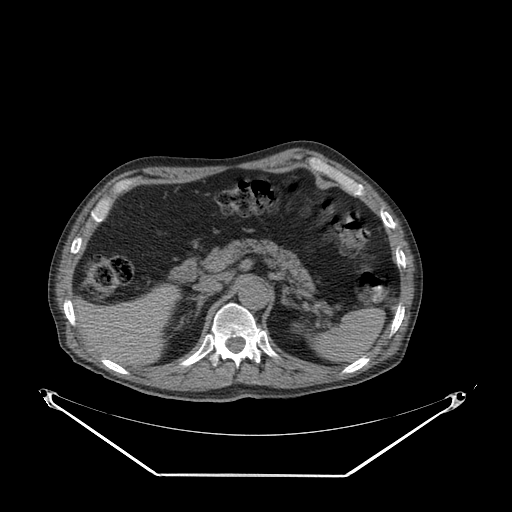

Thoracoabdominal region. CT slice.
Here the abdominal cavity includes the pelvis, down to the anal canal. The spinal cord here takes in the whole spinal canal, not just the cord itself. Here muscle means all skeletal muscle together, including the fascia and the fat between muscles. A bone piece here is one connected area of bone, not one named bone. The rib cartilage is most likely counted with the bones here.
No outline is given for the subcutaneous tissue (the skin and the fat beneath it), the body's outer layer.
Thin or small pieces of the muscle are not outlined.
The mediastinum appears in 2 outlined pieces: piece 1: [[246,274],[256,275],[259,277],[266,279],[267,282],[272,289],[271,301],[261,327],[258,324],[256,318],[252,312],[249,309],[237,302],[234,301],[228,301],[221,305],[218,308],[218,306],[224,300],[224,298],[229,293],[236,282],[241,277]]; piece 2: [[315,171],[316,171],[317,172],[319,172],[320,173],[321,173],[324,176],[325,176],[327,178],[328,178],[330,180],[332,180],[334,182],[336,182],[339,185],[327,185],[326,184],[321,184],[320,183],[320,182],[319,181],[319,176],[318,175],[318,174]]. The spinal cord is outlined by [[237,337],[240,337],[241,338],[242,338],[244,340],[244,345],[243,346],[243,347],[242,348],[242,349],[240,351],[239,351],[238,352],[233,352],[232,351],[231,351],[226,346],[226,342],[227,341],[227,340],[228,340],[231,338],[236,338]]. The torso is outlined by [[299,139],[324,143],[351,160],[388,193],[412,230],[422,262],[423,291],[406,354],[399,364],[358,384],[295,398],[245,397],[228,402],[196,402],[146,394],[73,362],[58,343],[47,301],[48,271],[67,220],[104,175],[118,165],[142,156],[221,158]]. The bones appear in 10 outlined pieces: piece 1: [[228,302],[237,303],[251,312],[257,324],[267,332],[268,341],[280,358],[275,359],[262,352],[258,363],[244,358],[237,368],[234,362],[228,358],[220,359],[216,365],[213,365],[209,353],[188,366],[178,366],[182,360],[199,348],[210,330],[214,314]]; inner edge: [[237,337],[240,337],[241,338],[242,338],[244,340],[244,345],[243,346],[243,347],[242,348],[242,349],[240,351],[239,351],[238,352],[233,352],[232,351],[231,351],[226,346],[226,342],[227,341],[227,340],[228,340],[231,338],[236,338]]; piece 2: [[311,156],[319,158],[324,162],[333,166],[338,170],[341,171],[344,174],[350,177],[355,181],[360,183],[363,186],[365,193],[362,196],[353,195],[342,188],[336,181],[330,179],[319,171],[313,170],[307,167],[306,166],[305,159],[307,157],[310,157]]; piece 3: [[134,176],[137,176],[137,178],[135,181],[127,189],[122,191],[115,197],[115,199],[111,205],[111,207],[109,209],[105,218],[101,222],[95,222],[90,217],[90,212],[97,202],[103,196],[110,193],[110,189],[116,182],[119,180],[129,177],[133,177]]; piece 4: [[399,302],[402,303],[402,304],[405,308],[405,311],[404,312],[403,319],[399,327],[397,329],[397,330],[392,335],[392,336],[389,337],[388,335],[389,334],[389,331],[390,330],[390,325],[394,317],[394,315],[396,311],[396,307]]; piece 5: [[364,355],[367,355],[367,356],[369,357],[369,361],[366,364],[365,364],[360,368],[352,372],[348,372],[347,373],[343,373],[342,374],[340,373],[341,370],[345,366],[352,363],[354,361],[355,361],[357,359],[358,359],[360,357]]; piece 6: [[66,298],[68,298],[71,300],[71,302],[73,306],[73,310],[74,311],[74,314],[75,315],[75,321],[76,322],[76,325],[74,326],[73,326],[69,322],[69,321],[67,319],[64,313],[64,310],[63,309],[63,303],[64,302],[64,300]]; piece 7: [[381,207],[383,207],[383,208],[390,214],[390,215],[392,217],[393,220],[396,223],[396,226],[394,229],[392,229],[391,228],[387,228],[386,227],[385,227],[385,226],[384,225],[384,224],[383,223],[383,222],[382,221],[382,220],[379,215],[379,210]]; piece 8: [[101,357],[106,358],[107,359],[108,359],[109,360],[110,360],[111,361],[120,365],[122,367],[125,368],[129,372],[129,373],[128,374],[123,374],[122,373],[117,372],[116,371],[107,367],[102,362],[101,362],[101,361],[100,360]]; piece 9: [[398,245],[400,247],[400,248],[403,251],[403,252],[404,253],[404,254],[405,255],[405,256],[406,257],[406,267],[405,268],[403,268],[402,267],[401,267],[399,269],[398,268],[398,267],[397,266],[397,265],[396,264],[396,258],[395,257],[395,248]]; piece 10: [[77,235],[80,235],[82,237],[82,242],[81,243],[81,246],[80,247],[80,249],[79,250],[79,251],[77,253],[76,253],[75,254],[73,254],[72,253],[71,253],[70,252],[70,247],[71,246],[71,244],[72,243],[72,241],[73,240],[73,239]]. The abdominal cavity is outlined by [[304,166],[321,185],[358,197],[384,226],[399,295],[371,350],[346,365],[285,352],[262,328],[273,289],[266,278],[250,273],[207,316],[195,345],[168,363],[126,368],[88,345],[72,302],[74,270],[120,195],[139,185],[186,183],[234,168],[282,173]]. The muscle is outlined by [[297,147],[302,147],[317,151],[330,159],[332,159],[340,163],[359,175],[388,204],[398,218],[401,224],[408,244],[410,247],[411,253],[413,256],[413,261],[415,268],[415,278],[414,279],[414,296],[413,297],[410,319],[408,321],[408,324],[401,341],[401,344],[397,351],[394,354],[383,361],[373,365],[366,370],[354,376],[341,380],[337,380],[326,383],[320,383],[304,387],[275,388],[265,385],[251,385],[250,384],[239,383],[238,384],[232,384],[220,388],[210,389],[205,391],[181,391],[180,390],[170,390],[169,389],[163,389],[153,386],[149,386],[113,375],[106,370],[97,366],[92,362],[87,361],[85,359],[81,358],[66,344],[64,320],[62,318],[62,314],[58,309],[57,301],[56,300],[56,294],[55,293],[56,277],[58,272],[59,263],[62,255],[62,251],[65,242],[67,240],[72,227],[75,223],[79,214],[90,199],[108,181],[115,176],[128,170],[146,167],[147,166],[203,167],[204,166],[231,165],[232,164],[237,164],[238,163],[257,160],[281,152],[287,149],[296,148]]; inner edges: [[311,156],[360,183],[365,193],[358,197],[375,214],[379,215],[381,207],[390,214],[396,226],[384,229],[392,258],[396,261],[398,245],[406,257],[406,267],[398,270],[397,302],[405,308],[403,319],[392,336],[387,327],[366,354],[366,364],[341,374],[344,365],[301,359],[269,337],[279,359],[262,352],[258,363],[244,358],[237,368],[228,358],[213,365],[209,353],[188,366],[178,366],[199,348],[215,311],[207,316],[195,345],[168,363],[127,368],[129,373],[123,374],[101,362],[102,356],[88,345],[78,325],[67,319],[63,303],[74,296],[76,264],[100,223],[90,212],[116,182],[137,176],[129,190],[139,185],[191,182],[234,168],[282,173],[305,166],[305,159]], then [[77,235],[80,235],[82,237],[82,242],[81,243],[81,246],[80,247],[80,249],[79,250],[79,251],[77,253],[76,253],[75,254],[73,254],[72,253],[71,253],[70,252],[70,247],[71,246],[71,244],[72,243],[72,241],[73,240],[73,239]].